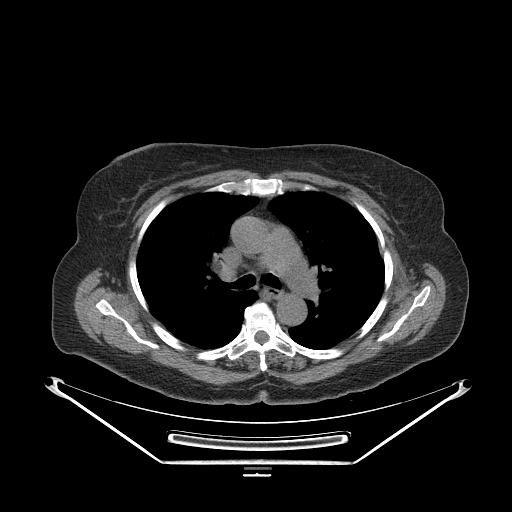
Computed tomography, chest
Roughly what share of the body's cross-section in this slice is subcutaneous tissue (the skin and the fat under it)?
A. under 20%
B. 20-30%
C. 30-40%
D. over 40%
Answer: C. 30-40%
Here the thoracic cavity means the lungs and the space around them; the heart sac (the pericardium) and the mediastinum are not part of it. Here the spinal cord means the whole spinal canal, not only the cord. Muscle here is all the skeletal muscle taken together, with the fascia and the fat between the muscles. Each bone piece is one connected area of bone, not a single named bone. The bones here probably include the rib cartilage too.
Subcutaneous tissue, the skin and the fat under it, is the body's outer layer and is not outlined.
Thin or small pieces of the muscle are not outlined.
The muscle is outlined by (227, 169) (246, 169) (253, 172) (256, 172) (260, 174) (262, 177) (265, 177) (271, 173) (283, 170) (309, 171) (321, 174) (333, 179) (350, 183) (364, 190) (386, 212) (388, 216) (387, 222) (394, 232) (394, 245) (401, 260) (407, 264) (407, 267) (413, 268) (417, 275) (418, 269) (420, 266) (425, 262) (429, 262) (434, 265) (444, 277) (446, 284) (446, 297) (444, 306) (439, 317) (430, 330) (421, 339) (410, 345) (382, 351) (378, 355) (369, 358) (365, 361) (350, 365) (345, 370) (336, 375) (315, 382) (309, 382) (300, 385) (293, 385) (289, 382) (273, 376) (265, 377) (262, 374) (243, 381) (228, 383) (223, 385) (208, 383) (204, 381) (197, 380) (186, 374) (184, 374) (176, 368) (166, 366) (162, 364) (157, 364) (146, 358) (138, 358) (135, 356) (131, 357) (123, 354) (119, 354) (115, 351) (99, 344) (92, 339) (81, 328) (75, 314) (73, 302) (78, 283) (88, 273) (100, 266) (102, 268) (105, 268) (117, 280) (119, 280) (121, 285) (124, 287) (125, 286) (125, 275) (126, 274) (128, 251) (132, 240) (131, 234) (134, 223) (133, 216) (143, 202) (158, 189) (173, 182) with holes at (246, 178) (307, 183) (352, 206) (355, 200) (379, 226) (393, 264) (388, 301) (361, 338) (356, 338) (356, 330) (334, 346) (345, 349) (340, 356) (316, 359) (296, 353) (290, 357) (270, 349) (265, 352) (267, 368) (262, 371) (255, 350) (233, 360) (227, 356) (200, 360) (195, 354) (201, 348) (183, 341) (187, 349) (176, 349) (153, 330) (154, 321) (164, 326) (140, 304) (128, 272) (130, 259) (137, 257) (137, 237) (145, 219) (165, 198) (169, 204) and at (427, 285) (430, 286) (430, 292) (423, 305) (416, 307) (401, 324) (399, 328) (392, 335) (379, 342) (376, 341) (376, 339) (380, 335) (386, 332) (388, 332) (393, 327) (395, 322) (398, 318) (399, 318) (402, 314) (405, 313) (411, 306) (415, 296) and at (101, 299) (106, 300) (112, 306) (114, 310) (131, 325) (137, 335) (140, 338) (145, 340) (148, 340) (153, 343) (157, 344) (159, 346) (159, 348) (153, 348) (146, 344) (138, 342) (127, 331) (126, 327) (122, 321) (112, 315) (104, 315) (96, 307) (96, 303). The spinal cord is outlined by (259, 331) (263, 331) (264, 332) (265, 332) (267, 334) (267, 335) (268, 336) (268, 339) (266, 341) (265, 341) (263, 343) (260, 343) (259, 342) (258, 342) (257, 341) (256, 341) (255, 340) (255, 335) (256, 334) (256, 333) (257, 332) (258, 332). The thoracic cavity appears in 2 outlined pieces: piece 1: (198, 192) (258, 197) (253, 207) (232, 222) (227, 239) (217, 254) (223, 279) (230, 282) (236, 290) (256, 292) (257, 298) (244, 308) (238, 333) (227, 343) (210, 349) (202, 349) (182, 341) (154, 316) (142, 292) (136, 265) (140, 244) (153, 220) (168, 204); piece 2: (296, 190) (303, 192) (320, 190) (353, 206) (373, 230) (383, 261) (383, 291) (376, 306) (357, 330) (329, 348) (305, 346) (295, 341) (287, 332) (289, 328) (302, 324) (308, 317) (306, 300) (310, 272) (304, 243) (289, 226) (269, 209) (268, 204) (276, 197) (288, 191). The bones appear in 8 outlined pieces: piece 1: (256, 301) (268, 305) (282, 329) (298, 344) (311, 349) (344, 348) (344, 353) (335, 358) (316, 359) (299, 353) (290, 357) (270, 349) (265, 352) (265, 371) (259, 367) (259, 354) (255, 350) (233, 360) (227, 356) (197, 359) (197, 352) (231, 341) (241, 329) (245, 308) with a hole at (259, 331) (263, 331) (264, 332) (265, 332) (267, 334) (267, 335) (268, 336) (268, 339) (266, 341) (265, 341) (263, 343) (260, 343) (259, 342) (258, 342) (257, 341) (256, 341) (255, 340) (255, 335) (256, 334) (256, 333) (257, 332) (258, 332); piece 2: (246, 178) (279, 178) (283, 181) (293, 181) (294, 182) (307, 183) (317, 187) (319, 190) (305, 190) (303, 191) (296, 189) (295, 190) (288, 190) (279, 195) (265, 195) (264, 196) (244, 195) (221, 191) (203, 191) (207, 188) (215, 186) (226, 181) (241, 181); piece 3: (353, 200) (360, 203) (369, 212) (379, 226) (383, 234) (385, 247) (391, 255) (393, 264) (391, 283) (386, 292) (388, 301) (385, 308) (369, 331) (359, 339) (356, 338) (358, 330) (375, 309) (385, 293) (384, 291) (385, 266) (377, 236) (370, 224) (353, 205); piece 4: (427, 285) (430, 286) (430, 292) (423, 305) (416, 307) (401, 324) (399, 328) (392, 335) (379, 342) (376, 341) (376, 339) (380, 335) (386, 332) (388, 332) (393, 327) (395, 322) (398, 318) (399, 318) (402, 314) (405, 313) (411, 306) (415, 296); piece 5: (101, 299) (106, 300) (112, 306) (114, 310) (131, 325) (137, 335) (140, 338) (145, 340) (148, 340) (153, 343) (157, 344) (159, 346) (159, 348) (153, 348) (146, 344) (138, 342) (127, 331) (126, 327) (122, 321) (112, 315) (104, 315) (96, 307) (96, 303); piece 6: (133, 257) (135, 257) (135, 265) (136, 266) (136, 273) (137, 274) (138, 283) (139, 284) (141, 292) (147, 304) (147, 306) (149, 310) (148, 311) (146, 311) (140, 304) (133, 290) (133, 288) (131, 284) (131, 281) (129, 277) (129, 273) (128, 272) (129, 261) (130, 259); piece 7: (154, 321) (158, 324) (159, 324) (162, 327) (163, 327) (167, 331) (168, 331) (176, 338) (180, 340) (187, 349) (185, 351) (182, 351) (181, 350) (176, 349) (170, 346) (165, 342) (164, 342) (156, 334) (156, 333) (153, 330) (152, 328) (151, 323); piece 8: (165, 198) (169, 198) (169, 201) (168, 203) (159, 212) (159, 213) (149, 224) (149, 225) (147, 227) (146, 230) (143, 234) (142, 239) (139, 245) (138, 245) (137, 244) (137, 237) (138, 236) (138, 233) (145, 219) (147, 217) (147, 216) (149, 214) (151, 210) (161, 200). The mediastinum is outlined by (265, 196) (277, 196) (267, 207) (303, 243) (309, 272) (305, 300) (307, 317) (299, 325) (289, 327) (287, 331) (277, 321) (269, 305) (257, 300) (256, 291) (236, 289) (230, 281) (224, 279) (225, 274) (218, 262) (218, 254) (228, 239) (233, 222) (253, 208) (259, 197). The torso is outlined by (157, 141) (249, 147) (339, 143) (384, 154) (425, 174) (442, 194) (445, 230) (468, 271) (469, 296) (457, 339) (440, 356) (371, 389) (299, 405) (262, 401) (209, 405) (178, 400) (60, 351) (51, 336) (51, 285) (59, 261) (76, 240) (75, 212) (81, 190) (112, 158).